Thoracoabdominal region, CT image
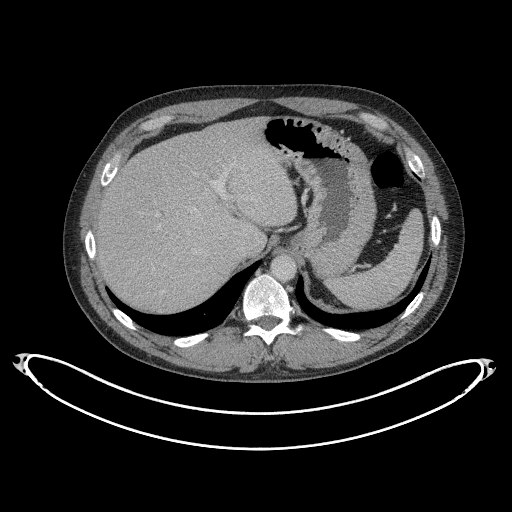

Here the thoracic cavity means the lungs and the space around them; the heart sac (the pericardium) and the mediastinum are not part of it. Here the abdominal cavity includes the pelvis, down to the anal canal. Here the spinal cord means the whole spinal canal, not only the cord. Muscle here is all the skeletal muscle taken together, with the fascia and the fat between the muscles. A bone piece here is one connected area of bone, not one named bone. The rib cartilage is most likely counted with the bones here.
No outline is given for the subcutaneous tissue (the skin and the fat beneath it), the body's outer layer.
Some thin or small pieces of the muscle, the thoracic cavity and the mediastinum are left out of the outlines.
{"thoracic_cavity":[[[176,337],[202,332],[220,324],[239,303],[242,290],[260,261],[258,260],[247,268],[238,272],[211,298],[199,306],[172,315],[151,315],[133,310],[122,303],[107,287],[105,287],[108,295],[115,305],[126,313],[136,323],[156,333],[173,335]],[[355,331],[379,326],[397,316],[405,308],[421,288],[429,267],[431,254],[416,284],[407,296],[393,306],[371,312],[354,314],[330,314],[324,312],[314,306],[305,297],[303,293],[303,281],[301,276],[299,277],[295,292],[290,297],[307,315],[322,325]]],"spinal_cord":[[[265,329],[270,329],[271,328],[272,328],[278,322],[278,321],[279,320],[276,317],[274,317],[273,316],[262,316],[261,317],[260,317],[259,318],[258,318],[256,320],[256,323],[258,325],[259,325],[261,327],[262,327],[263,328],[264,328]]],"muscle":[{"outer":[[218,374],[228,374],[236,372],[251,372],[259,367],[262,363],[266,362],[277,363],[279,365],[282,365],[285,367],[292,369],[305,369],[306,368],[330,367],[357,360],[382,348],[384,348],[405,335],[420,321],[437,300],[443,288],[447,275],[447,251],[446,249],[447,248],[448,212],[445,204],[444,196],[441,192],[441,187],[439,180],[435,172],[435,168],[425,150],[405,129],[385,114],[367,106],[352,102],[348,102],[337,99],[329,99],[328,98],[320,98],[319,97],[307,97],[306,96],[289,96],[288,97],[278,97],[277,98],[241,98],[240,97],[234,97],[233,98],[218,98],[217,99],[182,102],[159,108],[150,113],[146,114],[142,117],[136,119],[122,130],[115,137],[102,154],[97,163],[93,177],[87,190],[81,209],[81,213],[79,219],[79,232],[80,233],[80,246],[81,247],[80,251],[80,282],[81,286],[87,296],[89,302],[99,316],[107,325],[130,344],[143,350],[145,352],[162,358],[171,363],[184,367],[205,370],[208,372],[212,372]],"holes":[[[179,347],[206,338],[208,330],[239,303],[248,327],[243,335],[258,335],[267,345],[280,333],[299,335],[303,330],[299,323],[290,324],[291,298],[312,319],[328,327],[322,328],[324,332],[341,341],[358,340],[362,335],[359,330],[379,326],[401,312],[400,319],[409,315],[424,295],[420,289],[431,257],[420,158],[382,131],[388,127],[382,118],[367,112],[359,113],[364,122],[360,123],[311,117],[260,102],[201,123],[171,123],[173,116],[169,114],[142,122],[138,127],[144,132],[116,151],[103,168],[100,183],[106,189],[96,212],[94,232],[89,229],[86,233],[85,249],[98,263],[106,291],[116,306],[111,309],[116,318],[133,330],[141,325],[173,335],[173,344]],[[435,247],[437,247],[438,246],[438,244],[440,240],[440,234],[441,233],[441,228],[440,227],[440,222],[439,221],[439,219],[438,217],[436,215],[433,215],[431,217],[431,219],[430,220],[430,233],[431,234],[431,241],[433,245]]]}],"torso":[[[250,383],[325,377],[376,361],[426,333],[451,297],[465,240],[458,189],[445,160],[418,121],[386,95],[362,87],[325,83],[213,84],[169,90],[124,109],[111,123],[76,179],[64,217],[63,263],[73,296],[96,330],[124,354],[154,367],[202,379]]],"abdominal_cavity":[[[151,314],[199,305],[274,247],[298,258],[304,293],[324,311],[354,313],[393,305],[412,289],[430,253],[423,182],[412,175],[402,147],[387,134],[365,123],[311,117],[271,102],[144,132],[122,151],[100,198],[94,235],[105,285],[126,305]]],"mediastinum":[[[290,294],[294,292],[297,279],[300,275],[299,263],[297,261],[297,258],[291,252],[289,252],[287,250],[280,250],[274,248],[272,250],[270,250],[260,260],[261,263],[250,277],[249,280],[258,273],[263,273],[264,272],[269,273],[279,281]]],"bones":[{"outer":[[267,345],[269,345],[274,338],[280,333],[299,335],[303,330],[303,326],[299,323],[293,326],[290,324],[293,306],[287,291],[273,277],[269,274],[264,273],[258,274],[246,284],[242,293],[240,303],[241,312],[248,327],[243,333],[243,335],[258,335]],"hole":[[265,329],[270,329],[271,328],[272,328],[278,322],[278,321],[279,320],[276,317],[274,317],[273,316],[262,316],[261,317],[260,317],[259,318],[258,318],[256,320],[256,323],[258,325],[259,325],[261,327],[262,327],[263,328],[264,328]]},[[102,186],[106,186],[109,183],[109,182],[115,174],[117,170],[117,168],[118,167],[118,164],[122,156],[122,153],[120,150],[118,150],[116,151],[114,153],[112,158],[105,164],[103,168],[102,173],[101,174],[101,177],[100,178],[100,183]],[[341,341],[355,341],[356,340],[358,340],[360,339],[362,335],[360,333],[358,332],[355,332],[354,331],[347,331],[346,330],[336,329],[335,328],[332,328],[331,327],[328,327],[327,328],[322,328],[322,330],[324,332],[329,334],[332,337]],[[422,179],[425,177],[425,172],[424,171],[423,164],[420,158],[408,147],[405,146],[404,147],[404,151],[405,152],[406,159],[408,162],[408,164],[410,168],[414,172],[414,173],[415,173],[416,175],[418,176],[418,177]],[[144,131],[151,131],[154,129],[157,129],[161,127],[166,123],[168,123],[173,118],[173,116],[169,114],[166,114],[165,115],[161,115],[158,117],[155,117],[154,118],[152,118],[151,119],[149,119],[142,122],[138,127],[139,129],[143,130]],[[179,347],[186,347],[187,346],[190,346],[191,345],[193,345],[203,340],[209,335],[209,331],[206,331],[202,333],[199,333],[198,334],[195,334],[194,335],[191,335],[190,336],[186,336],[185,337],[177,337],[175,338],[173,340],[173,344]],[[382,131],[386,129],[388,127],[388,124],[382,118],[374,114],[372,114],[371,113],[368,113],[367,112],[360,112],[359,113],[359,117],[361,118],[364,122]],[[435,247],[437,247],[438,246],[438,244],[440,240],[440,234],[441,233],[441,228],[440,227],[440,222],[439,221],[439,219],[438,217],[436,215],[433,215],[431,217],[431,219],[430,220],[430,233],[431,234],[431,241],[433,245]],[[133,330],[135,330],[137,328],[138,326],[137,324],[136,324],[126,314],[125,314],[117,307],[113,307],[111,309],[112,310],[112,312],[114,314],[116,318],[125,326]],[[90,259],[94,259],[95,258],[95,241],[94,240],[94,236],[93,235],[93,233],[92,232],[92,230],[91,230],[90,229],[89,229],[87,231],[87,232],[86,233],[86,235],[85,236],[85,249],[86,250],[86,252],[88,255],[88,257]],[[400,319],[403,319],[405,317],[409,315],[418,306],[418,305],[420,303],[424,295],[424,292],[422,290],[420,290],[415,296],[415,297],[409,303],[409,304],[406,307],[406,308],[404,310],[402,314],[399,317]]]}